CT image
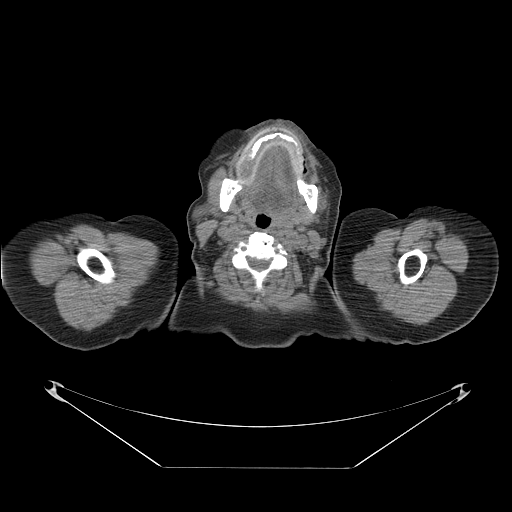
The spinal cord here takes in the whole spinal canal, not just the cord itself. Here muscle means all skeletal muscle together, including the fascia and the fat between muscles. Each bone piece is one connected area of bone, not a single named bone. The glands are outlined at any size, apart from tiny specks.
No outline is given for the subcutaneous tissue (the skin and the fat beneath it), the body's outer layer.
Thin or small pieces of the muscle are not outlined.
Outlines:
torso: 192,273 216,317 235,330 252,334 282,333 309,319 316,309 326,279 330,280 331,276 334,294 347,314 371,335 397,344 333,340 313,334 300,337 288,347 247,348 221,333 168,333 164,325 166,317 178,287
right arm: 78,211 95,212 111,221 130,214 145,214 163,222 176,235 180,250 177,291 163,325 156,331 141,331 129,339 120,339 105,347 83,351 52,340 25,319 10,302 2,275 2,249 5,239 16,227 29,219
parotid glands 1: 204,201 206,201 209,203 209,204 211,207 211,210 210,211 210,212 209,213 207,218 206,218 205,219 203,219 201,221 200,221 195,224 192,219 192,212 193,211 194,208 196,206 201,204
parotid glands 2: 325,208 327,208 329,209 330,211 329,213 329,229 328,230 328,232 327,234 325,235 323,235 321,234 317,230 316,230 315,228 315,226 316,224 317,224 320,220 320,218 322,215 322,211 323,209
spinal cord: 248,257 250,257 251,258 255,258 258,260 260,260 261,259 265,259 266,260 270,260 270,261 267,267 261,270 257,270 253,268 251,266 250,266 248,262 248,259 247,258
bones 1: 255,231 263,231 273,236 274,243 280,243 287,253 285,256 286,266 282,269 273,269 267,274 262,283 263,293 254,292 255,281 251,274 246,269 236,268 231,259 234,254 233,249 238,242 246,241 248,236; inner edge: 248,257 250,257 251,258 255,258 258,260 260,260 261,259 265,259 266,260 270,260 270,261 267,267 261,270 257,270 253,268 251,266 250,266 248,262 248,259 247,258
bones 2: 84,247 94,248 100,251 102,253 103,253 111,261 112,263 112,267 115,272 115,277 112,282 110,283 101,283 99,281 94,279 92,277 88,275 80,268 76,259 76,254 78,252 80,248 83,248
bones 3: 414,248 419,248 422,250 427,255 427,258 428,259 423,270 423,272 420,277 419,277 414,282 410,284 407,284 405,285 401,283 399,279 399,277 398,276 398,269 397,268 397,262 398,261 398,259 402,254
bones 4: 278,130 284,133 287,133 291,137 295,139 298,143 303,156 302,165 300,165 297,160 297,156 294,147 291,144 281,140 278,137 264,142 260,146 255,157 252,160 247,160 247,154 261,137 270,132 274,132
bones 5: 226,177 230,178 231,179 235,179 236,180 238,180 238,181 242,185 242,187 241,189 239,190 233,197 230,203 230,205 229,206 228,210 224,212 222,211 219,207 219,192 220,191 222,180
bones 6: 298,177 300,177 305,182 307,183 314,184 317,187 317,189 318,190 318,194 317,195 317,208 316,209 316,211 314,213 311,213 306,204 306,202 304,198 299,193 298,191 298,187 297,186 297,178
head and neck: 277,116 296,123 330,157 336,167 342,193 332,243 331,266 325,271 325,283 312,315 282,332 252,333 235,329 220,320 204,297 191,260 192,243 188,235 186,212 201,193 198,166 216,138 231,128 247,128 with a hole at 260,215 262,215 263,216 265,216 266,217 267,217 268,218 269,218 269,223 266,226 265,226 264,227 263,227 262,226 260,226 259,225 258,225 256,223 256,219 258,217 258,216 259,216
left arm: 423,205 455,208 480,219 490,229 497,243 498,275 491,297 465,326 434,341 420,344 398,344 373,335 364,329 357,320 348,314 335,294 331,275 334,237 339,222 351,211 365,207 377,207 403,218 416,207
submandibular glands 1: 306,211 308,211 309,212 310,212 310,213 312,216 312,220 311,221 311,222 309,224 308,224 307,225 303,225 302,224 301,224 301,223 300,222 300,218 301,217 301,216 304,213 304,212 305,212
submandibular glands 2: 237,206 238,206 239,207 240,207 240,208 241,209 241,211 240,212 240,213 239,213 238,214 235,214 234,213 233,213 233,212 232,211 232,210 233,209 233,208 234,208 235,207 236,207
muscle 1: 277,124 293,128 302,135 312,153 323,166 330,183 330,210 327,207 323,208 319,220 314,226 321,235 325,236 328,233 328,235 322,251 322,259 319,262 319,278 315,288 321,307 313,313 281,314 272,310 256,312 232,304 215,296 205,288 208,276 195,233 195,225 207,219 212,210 210,203 205,200 207,195 205,168 220,151 242,136 257,129 with holes at 255,231 263,231 273,236 274,243 280,243 287,253 285,256 286,266 282,269 273,269 267,274 262,283 263,293 254,292 255,281 251,274 246,269 236,268 231,259 234,254 233,249 238,242 246,241 248,236 and at 298,177 300,177 307,183 314,184 317,187 318,190 318,194 317,195 317,208 316,211 311,214 312,220 307,225 303,225 300,222 301,216 304,212 308,211 309,209 304,198 298,191 298,187 297,186 297,178 and at 278,130 284,133 287,133 291,137 295,139 298,143 303,156 302,165 300,165 297,160 297,156 294,147 291,144 281,140 278,137 264,142 260,146 255,157 252,160 247,160 247,154 261,137 270,132 274,132 and at 226,177 230,178 231,179 235,179 236,180 238,180 238,181 242,185 242,187 241,189 239,190 233,197 230,203 230,205 229,206 228,210 224,212 222,211 219,207 219,192 220,191 222,180 and at 260,215 262,215 263,216 265,216 266,217 267,217 268,218 269,218 269,223 266,226 265,226 264,227 263,227 262,226 260,226 259,225 258,225 256,223 256,219 258,217 258,216 259,216 and at 237,206 238,206 239,207 240,207 240,208 241,209 241,211 240,212 240,213 239,213 238,214 235,214 234,213 233,213 233,212 232,211 232,210 233,209 233,208 234,208 235,207 236,207
muscle 2: 79,223 92,225 104,232 129,232 154,242 162,250 161,262 157,270 152,275 149,284 137,296 133,306 111,321 91,331 78,330 66,324 59,315 54,299 48,289 39,285 30,273 27,259 30,247 37,240; inner edge: 84,247 94,248 100,251 102,253 103,253 111,261 112,263 112,267 115,272 115,277 112,282 110,283 101,283 99,281 94,279 92,277 88,275 80,268 76,259 76,254 78,252 80,248 83,248
muscle 3: 422,217 435,218 448,225 459,228 468,239 470,256 464,276 458,285 458,291 449,306 433,321 426,325 416,326 402,322 388,313 383,313 377,309 376,304 356,286 351,275 350,259 377,231 403,223 409,223 with a hole at 414,248 419,248 422,250 427,255 427,258 428,259 423,270 423,272 420,277 419,277 414,282 410,284 407,284 405,285 401,283 399,279 399,277 398,276 398,269 397,268 397,262 398,261 398,259 402,254